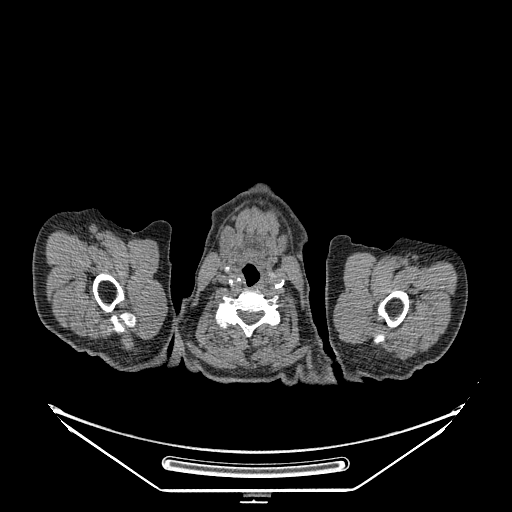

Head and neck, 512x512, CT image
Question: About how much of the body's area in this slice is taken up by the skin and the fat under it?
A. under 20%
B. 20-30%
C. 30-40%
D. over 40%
Answer: C. 30-40%
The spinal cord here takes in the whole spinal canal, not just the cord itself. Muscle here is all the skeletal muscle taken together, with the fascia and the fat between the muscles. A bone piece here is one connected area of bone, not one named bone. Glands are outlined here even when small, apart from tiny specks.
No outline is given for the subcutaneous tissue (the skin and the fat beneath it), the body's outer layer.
Outlines:
head and neck: 257,181 267,182 306,230 308,240 303,247 303,261 310,288 310,308 323,349 333,363 335,385 285,386 279,379 267,383 220,383 200,372 188,371 182,360 174,368 165,367 173,348 181,299 193,287 211,212 with a hole at 247,264 250,264 251,265 254,266 256,268 257,271 259,273 259,277 258,278 258,279 251,285 248,285 246,283 246,280 245,279 245,277 244,276 244,274 243,273 243,271 242,270 243,269 244,266 245,266
spinal cord: 238,311 247,311 248,312 259,312 260,311 261,311 263,313 263,314 259,318 259,319 258,320 257,320 255,322 254,322 253,323 251,323 250,324 249,324 248,323 246,323 240,317 240,316 238,313
submandibular glands 1: 225,226 231,226 232,227 234,231 234,233 235,234 235,238 236,240 235,241 235,243 234,244 233,248 230,251 229,251 224,255 222,254 220,251 220,246 219,245 219,239 220,238 220,234 221,233 221,231
submandibular glands 2: 283,234 284,235 286,235 287,236 288,236 289,237 289,241 288,242 288,243 289,244 289,246 285,250 284,250 283,251 279,251 279,250 278,249 278,246 277,245 277,238 278,237 279,237 281,235 282,235
right arm: 92,207 97,208 105,217 118,225 133,231 138,231 159,219 171,225 170,289 178,315 167,347 168,355 164,366 133,372 115,369 98,356 75,350 48,330 37,315 32,291 31,262 33,246 40,227 54,213
bones 1: 244,288 257,289 266,298 278,295 278,301 281,304 278,308 280,322 276,325 263,323 253,331 250,337 246,337 238,324 229,324 226,328 221,328 215,321 215,313 218,304 222,300 222,296 236,297, around a hole outlined by 238,311 247,311 248,312 259,312 260,311 261,311 263,313 263,314 259,318 259,319 258,320 257,320 255,322 254,322 253,323 251,323 250,324 249,324 248,323 246,323 240,317 240,316 238,313
bones 2: 101,272 108,273 114,277 123,289 124,299 112,312 118,314 126,311 133,314 136,318 135,325 127,327 125,331 120,334 107,331 108,327 112,326 109,319 111,313 104,311 100,307 93,293 92,284 94,277
bones 3: 394,289 396,290 403,290 408,294 408,296 409,297 409,307 403,320 399,324 399,325 398,325 396,327 394,327 393,328 390,328 388,326 387,326 386,323 383,319 378,319 377,308 378,307 379,303 392,290
bones 4: 379,333 383,333 384,334 384,335 385,336 385,339 384,340 384,341 383,341 382,342 380,342 379,343 378,343 377,344 375,344 372,341 372,340 373,339 373,337 374,336 374,335 375,334 378,334
muscle 1: 251,197 262,197 267,199 283,213 292,228 293,250 296,254 303,278 304,309 311,351 292,365 277,371 245,371 233,373 222,369 216,369 198,359 186,345 183,327 184,321 196,296 198,272 222,219 236,205 with a hole at 244,288 257,289 266,298 278,295 278,301 281,304 278,308 280,322 276,325 263,323 253,331 250,337 246,337 238,324 229,324 226,328 221,328 215,321 215,313 218,304 222,300 222,296 236,297
muscle 2: 92,222 127,239 151,238 158,243 160,260 157,272 166,296 168,310 158,335 147,348 138,353 130,353 88,337 79,336 64,328 56,320 46,298 47,267 44,250 46,237 52,229 52,225 61,224 77,228 with a hole at 101,272 108,273 114,277 123,289 124,299 112,312 118,314 126,311 133,314 136,318 135,325 127,327 125,331 120,334 107,331 108,327 112,326 109,319 111,313 104,311 100,307 93,293 92,284 94,277
muscle 3: 355,251 364,251 372,254 388,254 409,251 421,256 435,259 445,259 454,265 458,278 451,307 451,318 445,332 427,351 418,353 402,360 364,347 345,343 339,339 333,323 333,310 341,285 345,258 347,255 with holes at 394,289 396,290 403,290 408,294 408,296 409,297 409,307 403,320 399,324 399,325 398,325 396,327 394,327 393,328 390,328 388,326 387,326 386,323 383,319 378,319 377,308 378,307 379,303 392,290 and at 379,333 383,333 384,334 384,335 385,336 385,339 384,340 384,341 383,341 382,342 380,342 379,343 378,343 377,344 375,344 372,341 372,340 373,339 373,337 374,336 374,335 375,334 378,334
left arm: 338,234 347,234 353,242 381,249 388,248 398,238 405,236 443,244 459,254 468,281 466,309 456,337 437,361 426,364 407,379 376,380 366,377 362,382 343,379 340,365 329,343 325,315 325,259 330,239